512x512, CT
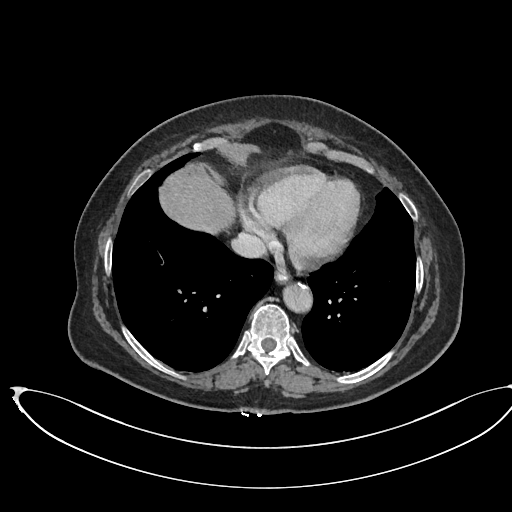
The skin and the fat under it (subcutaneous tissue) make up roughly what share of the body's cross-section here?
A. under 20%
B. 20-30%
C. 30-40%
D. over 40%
B. 20-30%
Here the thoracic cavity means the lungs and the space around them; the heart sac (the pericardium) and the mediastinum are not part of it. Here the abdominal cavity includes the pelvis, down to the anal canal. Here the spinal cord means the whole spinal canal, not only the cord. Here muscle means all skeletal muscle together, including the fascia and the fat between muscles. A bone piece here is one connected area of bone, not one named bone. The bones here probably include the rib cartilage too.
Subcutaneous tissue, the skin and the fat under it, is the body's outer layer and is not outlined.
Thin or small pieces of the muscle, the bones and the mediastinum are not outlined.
{"bones":[{"outer":[[269,303],[278,305],[288,315],[291,324],[290,332],[295,337],[303,353],[311,362],[310,366],[306,366],[290,356],[276,363],[270,369],[269,373],[265,375],[262,365],[248,353],[233,359],[229,357],[240,341],[243,331],[249,326],[255,311],[260,306]],"hole":[[266,338],[270,338],[271,339],[272,339],[273,340],[274,340],[275,341],[275,342],[276,343],[276,344],[275,345],[275,346],[274,347],[274,348],[273,349],[272,349],[270,351],[266,351],[263,348],[263,347],[262,346],[262,341],[264,339],[265,339]]},[[308,142],[321,142],[324,143],[329,148],[349,152],[360,156],[367,160],[374,168],[374,173],[370,174],[363,169],[351,163],[343,161],[336,161],[333,159],[330,159],[325,155],[325,152],[323,150],[316,150],[313,152],[308,151],[305,148],[305,145]],[[122,323],[124,324],[138,342],[150,354],[151,354],[156,359],[165,364],[168,367],[172,368],[180,374],[185,375],[187,378],[186,379],[180,379],[179,378],[174,377],[169,374],[167,374],[155,368],[143,359],[134,350],[124,337],[120,329],[120,325]],[[393,347],[395,348],[395,352],[392,357],[385,365],[384,365],[380,369],[368,377],[360,381],[358,381],[354,383],[348,383],[347,384],[339,383],[335,379],[336,377],[340,375],[346,374],[347,373],[353,373],[367,367],[376,361],[379,358],[380,358]],[[215,136],[220,136],[221,137],[224,137],[226,138],[229,141],[227,144],[225,145],[222,145],[221,146],[218,146],[212,149],[208,149],[204,151],[192,151],[192,144],[193,143],[197,141],[201,141],[207,138],[210,138],[211,137],[214,137]],[[109,236],[110,236],[113,240],[113,246],[112,247],[112,256],[111,257],[111,276],[109,277],[107,276],[105,272],[105,269],[104,268],[104,260],[103,259],[103,256],[104,255],[104,244],[105,243],[105,241],[107,237]],[[146,168],[150,168],[151,169],[152,169],[153,170],[153,173],[135,191],[135,192],[130,197],[130,198],[128,198],[127,197],[127,193],[128,192],[128,190],[129,189],[130,186],[132,184],[134,179],[136,177],[136,176],[142,170],[143,170]],[[401,191],[405,194],[406,194],[407,196],[413,202],[417,210],[417,214],[418,215],[418,219],[417,221],[413,221],[412,220],[412,219],[404,208],[400,200],[398,198],[397,196],[397,193]],[[417,255],[419,255],[421,257],[421,258],[422,259],[422,262],[423,263],[423,269],[424,270],[424,272],[423,273],[423,284],[422,285],[421,290],[420,291],[420,292],[417,295],[414,296],[414,292],[415,291],[415,275],[416,274],[416,256]]],"spinal_cord":[[[266,338],[270,338],[271,339],[272,339],[273,340],[274,340],[275,341],[275,342],[276,343],[276,344],[275,345],[275,346],[274,347],[274,348],[273,349],[272,349],[270,351],[266,351],[263,348],[263,347],[262,346],[262,341],[264,339],[265,339]]],"torso":[[[251,94],[319,99],[377,128],[423,172],[459,228],[465,273],[461,320],[453,341],[425,371],[367,401],[307,413],[260,415],[200,409],[152,395],[90,367],[71,347],[67,321],[76,292],[74,236],[81,213],[100,180],[130,145],[164,120],[203,104]]],"abdominal_cavity":[[[222,146],[232,152],[259,157],[265,161],[252,166],[241,177],[238,190],[237,207],[237,213],[240,222],[230,232],[216,237],[206,232],[196,231],[184,227],[168,217],[160,205],[158,198],[158,188],[169,174],[181,168],[189,160],[198,157],[201,152]]],"thoracic_cavity":[[[189,152],[200,154],[169,173],[157,188],[157,198],[162,211],[184,228],[219,239],[238,256],[264,260],[273,268],[271,283],[251,308],[239,341],[232,352],[213,367],[196,372],[170,367],[139,342],[122,319],[112,278],[114,238],[128,201],[154,172]],[[384,187],[396,195],[413,226],[415,274],[408,319],[393,346],[367,366],[353,372],[330,370],[318,364],[303,350],[298,334],[305,316],[314,304],[314,296],[307,283],[307,278],[310,273],[325,264],[334,262],[344,253],[350,242],[372,217],[376,196]]],"muscle":[{"outer":[[258,117],[274,117],[275,118],[302,121],[320,127],[340,137],[343,140],[356,146],[384,166],[394,176],[401,181],[404,187],[419,207],[429,227],[430,232],[438,251],[439,275],[440,276],[440,300],[439,301],[438,311],[435,320],[430,328],[417,341],[404,358],[381,376],[362,385],[344,391],[313,393],[305,397],[301,397],[300,398],[286,397],[274,390],[265,387],[252,387],[246,391],[237,394],[226,393],[225,392],[216,392],[215,391],[204,391],[200,389],[195,389],[194,388],[186,387],[175,382],[172,382],[169,380],[162,378],[143,367],[118,344],[111,336],[107,334],[102,329],[93,314],[93,311],[92,310],[93,305],[91,298],[91,269],[92,268],[93,258],[94,257],[94,253],[97,242],[97,237],[101,228],[105,222],[105,220],[108,214],[119,196],[122,189],[130,176],[137,167],[145,159],[153,155],[162,148],[190,134],[201,131],[206,128],[209,128],[216,125],[224,124],[225,123],[230,123],[231,122],[235,122],[236,121],[240,121],[251,118],[257,118]],"hole":[[269,124],[291,129],[305,151],[308,142],[321,142],[364,158],[385,187],[395,195],[406,194],[417,210],[413,243],[423,263],[423,284],[394,354],[360,381],[339,383],[335,378],[346,372],[327,369],[304,351],[310,366],[290,356],[265,375],[247,353],[201,371],[176,369],[187,377],[180,379],[149,364],[120,329],[124,322],[113,279],[105,272],[104,244],[116,235],[136,176],[191,152],[197,141],[220,136],[233,142]]}],"mediastinum":[[[269,124],[277,124],[291,129],[303,150],[361,169],[375,176],[384,186],[375,196],[375,205],[371,217],[358,233],[363,223],[365,198],[359,179],[349,170],[305,156],[291,156],[266,161],[259,156],[232,151],[224,146],[230,141],[241,140],[252,131]],[[273,266],[283,275],[307,276],[306,283],[313,296],[313,304],[311,309],[304,316],[299,331],[294,332],[293,335],[291,332],[292,324],[289,315],[281,306],[272,302],[260,305],[254,311],[248,326],[245,328],[252,308],[265,295],[272,283],[274,275]],[[240,223],[241,224],[242,229],[245,232],[251,241],[255,245],[258,250],[262,254],[262,255],[268,261],[264,259],[261,259],[260,258],[247,258],[246,257],[243,257],[240,255],[238,255],[232,251],[219,238],[218,238],[222,237],[230,233]]],"pericardium":[[[291,157],[305,157],[325,162],[349,171],[358,179],[364,198],[362,223],[357,233],[349,242],[343,253],[334,261],[325,263],[318,269],[310,272],[308,275],[283,274],[277,269],[263,255],[243,229],[238,213],[239,190],[242,177],[252,167],[261,163]]]}